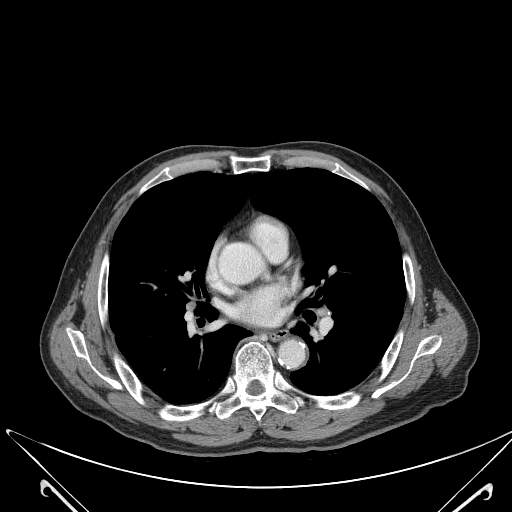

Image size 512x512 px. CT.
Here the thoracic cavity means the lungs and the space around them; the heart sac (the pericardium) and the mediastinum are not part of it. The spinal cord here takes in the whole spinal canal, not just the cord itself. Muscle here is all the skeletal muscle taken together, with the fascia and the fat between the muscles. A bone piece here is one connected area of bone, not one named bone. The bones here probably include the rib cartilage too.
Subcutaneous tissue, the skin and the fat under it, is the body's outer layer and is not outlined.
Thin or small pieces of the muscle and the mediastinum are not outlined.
{"pericardium":[[[250,210],[255,210],[273,216],[287,224],[291,228],[296,237],[299,252],[303,260],[301,268],[303,283],[301,289],[297,294],[291,314],[281,325],[277,327],[248,327],[233,321],[216,306],[212,295],[206,287],[205,273],[210,254],[217,238],[226,226]]],"torso":[[[296,140],[326,141],[359,152],[383,168],[410,198],[443,267],[479,328],[479,353],[464,392],[411,422],[341,448],[256,451],[222,457],[195,457],[159,450],[118,433],[74,407],[45,371],[39,335],[67,255],[106,190],[140,161],[175,146],[260,146]]],"thoracic_cavity":[[[300,167],[371,192],[395,229],[406,298],[378,365],[337,394],[288,380],[310,358],[291,331],[304,260],[292,228],[247,192],[212,246],[204,285],[223,323],[251,335],[236,344],[214,395],[165,402],[126,361],[109,321],[121,220],[146,191],[187,173]]],"muscle":[{"outer":[[287,148],[333,155],[387,193],[420,265],[424,294],[431,301],[433,289],[439,289],[466,324],[466,349],[449,373],[444,377],[434,373],[417,390],[390,399],[358,424],[322,439],[277,438],[259,429],[245,440],[219,446],[182,441],[166,430],[138,425],[76,389],[53,362],[48,335],[87,267],[115,203],[158,164],[190,153],[218,150],[238,154],[230,153],[226,161],[215,157],[182,160],[164,166],[146,181],[120,220],[109,252],[105,250],[102,255],[96,284],[97,312],[103,329],[109,322],[119,350],[112,352],[111,359],[120,381],[93,364],[79,329],[68,325],[64,329],[74,354],[114,389],[124,388],[144,407],[148,389],[164,402],[156,413],[169,422],[189,421],[206,413],[223,420],[241,408],[248,408],[260,424],[268,407],[294,414],[308,402],[326,410],[350,409],[363,395],[353,388],[377,367],[377,383],[388,375],[404,339],[399,324],[406,299],[411,306],[415,300],[412,259],[406,251],[402,252],[388,212],[362,179],[337,161],[319,156],[287,156],[273,165],[270,153],[258,155],[265,150]],"hole":[[433,334],[438,334],[441,336],[440,346],[433,353],[422,355],[418,357],[414,361],[410,372],[402,381],[390,389],[383,392],[378,397],[372,398],[371,394],[377,388],[385,386],[392,381],[399,379],[407,371],[409,364],[417,349],[419,342],[423,338]]}],"spinal_cord":[[[253,380],[258,380],[260,382],[260,383],[263,387],[263,391],[262,391],[260,393],[259,393],[258,394],[256,394],[255,395],[254,394],[251,394],[247,391],[247,388],[248,387],[248,385],[249,384],[249,383]]],"bones":[{"outer":[[249,341],[271,348],[274,367],[303,392],[331,396],[353,389],[361,393],[360,400],[343,409],[308,401],[294,413],[268,406],[260,423],[248,407],[223,419],[208,412],[184,421],[161,418],[157,410],[164,403],[183,406],[214,396],[234,369],[235,352]],"hole":[[253,380],[258,380],[260,382],[260,383],[263,387],[263,391],[262,391],[260,393],[259,393],[258,394],[256,394],[255,395],[254,394],[251,394],[247,391],[247,388],[248,387],[248,385],[249,384],[249,383]]},[[230,154],[240,156],[260,156],[270,154],[273,163],[272,166],[268,168],[268,171],[234,174],[233,171],[227,167],[219,169],[217,172],[212,170],[191,171],[163,181],[137,196],[140,188],[166,166],[182,161],[203,158],[215,158],[222,162],[226,162]],[[68,326],[79,330],[83,334],[89,358],[102,374],[120,382],[121,379],[115,369],[112,357],[114,351],[121,355],[145,387],[146,390],[143,394],[146,399],[146,405],[140,404],[124,387],[122,389],[114,388],[97,375],[84,358],[75,354],[65,329]],[[295,156],[312,156],[313,157],[324,158],[334,162],[337,162],[362,180],[370,188],[371,191],[365,189],[359,184],[347,178],[338,175],[330,170],[322,167],[300,166],[299,167],[286,168],[286,166],[284,164],[280,164],[281,161],[287,157],[294,157]],[[433,334],[438,334],[441,336],[440,346],[433,353],[422,355],[418,357],[414,361],[410,372],[402,381],[390,389],[383,392],[378,397],[372,398],[371,394],[377,388],[385,386],[392,381],[399,379],[407,371],[409,364],[417,349],[419,342],[423,338]],[[105,251],[107,251],[109,253],[109,269],[108,270],[108,276],[107,277],[107,311],[108,312],[108,320],[105,323],[105,326],[104,328],[103,328],[101,325],[99,313],[98,312],[98,304],[97,303],[97,284],[98,283],[98,276],[99,275],[100,265]],[[399,328],[402,328],[403,330],[403,339],[402,340],[401,346],[398,352],[397,357],[395,360],[395,362],[393,364],[393,366],[387,375],[380,382],[377,382],[377,378],[380,373],[380,370],[378,368],[380,361],[388,346],[390,344],[393,337]],[[404,252],[406,252],[409,255],[412,262],[413,271],[414,272],[414,280],[415,281],[415,295],[414,296],[413,303],[411,305],[409,303],[409,301],[407,297],[407,292],[406,291],[406,287],[405,286],[405,278],[404,277],[403,263],[402,262],[402,253]]],"mediastinum":[[[303,284],[302,297],[294,309],[298,319],[290,331],[303,338],[309,349],[309,358],[287,379],[275,367],[271,347],[257,340],[249,340],[235,351],[239,341],[250,337],[252,332],[238,325],[224,323],[219,310],[233,322],[248,328],[277,328],[292,314]],[[247,193],[249,193],[250,194],[250,201],[253,207],[255,209],[250,209],[246,211],[245,213],[242,214],[239,217],[236,218],[233,221],[230,222],[226,225],[220,233],[223,226],[240,211],[244,205],[244,203],[246,199],[246,194]]]}